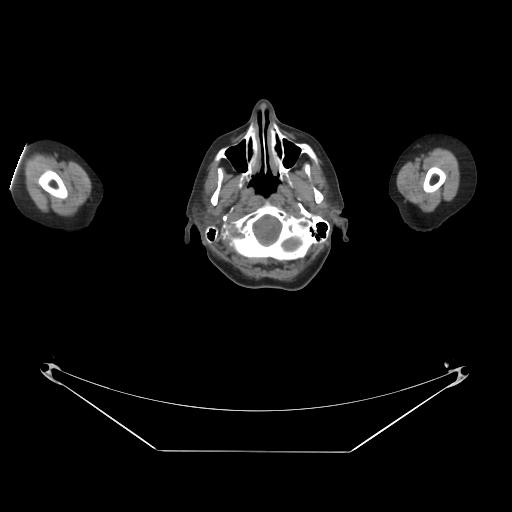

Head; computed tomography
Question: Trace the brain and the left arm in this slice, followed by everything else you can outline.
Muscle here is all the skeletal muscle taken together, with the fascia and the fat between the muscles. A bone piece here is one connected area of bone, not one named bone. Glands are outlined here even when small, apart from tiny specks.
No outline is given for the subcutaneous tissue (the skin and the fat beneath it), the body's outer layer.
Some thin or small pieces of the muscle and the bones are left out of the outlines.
Answer: The brain appears in 2 outlined pieces: piece 1: [[266,215],[268,215],[269,216],[274,217],[279,222],[280,224],[280,229],[279,230],[279,232],[278,233],[278,235],[276,239],[273,242],[269,244],[263,244],[257,238],[257,237],[255,235],[254,233],[254,229],[253,228],[254,227],[254,224],[260,218]]; piece 2: [[292,238],[293,239],[296,239],[299,242],[299,243],[297,245],[296,245],[295,246],[295,247],[294,247],[293,248],[292,248],[291,249],[286,249],[283,246],[283,243],[286,240],[288,240],[289,239],[291,239]]. The left arm is outlined by [[432,132],[441,132],[453,135],[463,141],[467,145],[475,160],[477,169],[477,185],[473,197],[464,207],[452,215],[438,228],[434,229],[430,232],[418,233],[410,229],[403,222],[398,212],[397,206],[389,196],[388,181],[394,164],[401,152],[418,137]]. The parotid glands appear in 2 outlined pieces: piece 1: [[201,191],[202,191],[202,194],[205,199],[207,209],[211,211],[214,217],[214,219],[211,224],[208,225],[206,228],[204,229],[202,229],[198,227],[197,223],[193,218],[193,213],[192,212],[192,205],[193,204],[193,202],[198,196],[199,192]]; piece 2: [[330,192],[334,194],[335,196],[335,198],[337,201],[337,206],[336,207],[336,210],[335,212],[331,216],[330,219],[327,220],[325,219],[324,217],[324,214],[327,210],[326,209],[326,203],[328,201],[328,198],[327,197],[327,195],[328,193]]. The right arm is outlined by [[38,138],[51,138],[70,146],[89,164],[100,178],[103,184],[104,193],[99,204],[95,219],[89,228],[80,232],[72,233],[67,233],[59,229],[49,228],[26,218],[14,204],[10,194],[10,188],[12,183],[10,182],[11,178],[26,142],[27,143]]. The head is outlined by [[260,98],[272,103],[282,122],[311,134],[322,145],[337,175],[344,201],[341,214],[348,219],[348,241],[335,228],[322,267],[298,290],[240,286],[208,259],[194,226],[190,229],[190,242],[183,241],[187,202],[206,150],[218,136],[242,125]] with holes at [[261,168],[262,168],[262,170],[264,173],[266,173],[270,170],[272,174],[277,175],[277,177],[279,180],[279,183],[277,185],[275,190],[268,195],[263,195],[261,193],[256,192],[254,188],[250,185],[249,183],[252,179],[253,176],[257,174],[260,171]] and at [[242,141],[244,142],[244,156],[246,160],[246,169],[244,171],[241,171],[240,172],[236,169],[235,169],[235,168],[232,165],[230,160],[228,158],[228,156],[226,154],[226,152],[230,148],[231,148],[232,146],[235,146],[239,144],[240,142]] and at [[284,140],[287,140],[288,142],[291,142],[291,143],[293,144],[294,146],[297,147],[299,149],[299,152],[298,153],[298,156],[297,157],[297,159],[295,161],[293,165],[289,167],[285,166],[283,162],[284,158],[285,157],[285,147],[284,146]] and at [[259,113],[260,113],[261,114],[261,124],[260,125],[260,126],[259,126],[259,125],[258,124],[258,123],[257,122],[257,116],[258,115],[258,114]] and at [[265,112],[267,112],[267,113],[268,114],[268,124],[267,125],[266,125],[266,124],[265,123]]. The muscle appears in 5 outlined pieces: piece 1: [[244,131],[239,140],[220,147],[213,160],[218,162],[225,159],[232,170],[239,173],[239,188],[245,181],[256,193],[268,196],[284,180],[292,185],[289,173],[303,154],[316,164],[319,163],[311,144],[323,161],[331,191],[326,195],[323,217],[309,211],[300,201],[296,203],[299,215],[295,215],[266,199],[234,220],[228,222],[228,214],[223,214],[219,227],[212,224],[215,217],[208,209],[202,190],[206,167],[218,147]], around holes outlined by [[219,167],[220,167],[222,169],[222,171],[223,172],[223,178],[222,179],[221,187],[220,188],[220,190],[218,194],[218,199],[217,200],[217,204],[216,205],[212,205],[210,202],[210,199],[212,196],[212,194],[217,187],[217,181],[218,180],[217,169]] and by [[313,186],[314,186],[319,191],[320,191],[322,193],[322,194],[323,195],[323,196],[324,197],[323,198],[323,200],[320,203],[316,203],[315,202],[315,200],[314,199],[314,193],[313,192],[313,190],[312,189],[312,187]] and by [[305,163],[308,163],[309,164],[309,165],[310,166],[310,178],[309,178],[307,176],[307,175],[305,173],[305,171],[304,170],[304,164]]; piece 2: [[28,150],[46,152],[47,153],[56,152],[58,153],[60,158],[64,160],[73,160],[78,163],[88,174],[92,183],[91,196],[78,209],[77,212],[73,216],[64,217],[60,216],[52,211],[42,212],[36,207],[25,188],[21,169],[21,166],[25,159]] with a hole at [[48,169],[50,169],[54,171],[61,178],[68,192],[68,195],[67,197],[63,199],[61,198],[59,198],[58,197],[56,197],[50,194],[45,190],[44,190],[38,183],[38,178],[39,176],[43,172],[44,172]]; piece 3: [[435,147],[442,147],[449,149],[456,156],[460,170],[460,183],[458,192],[451,201],[444,205],[437,207],[432,212],[426,213],[423,212],[418,207],[415,208],[410,204],[404,202],[403,197],[398,192],[396,187],[396,177],[400,168],[407,161]]; inner edge: [[432,166],[437,166],[439,167],[442,170],[443,170],[446,174],[446,178],[444,182],[435,191],[433,192],[431,192],[430,193],[428,193],[427,192],[425,192],[423,189],[423,182],[424,181],[424,179],[425,178],[425,176],[426,175],[426,173],[428,169]]; piece 4: [[219,240],[224,243],[225,242],[236,254],[244,258],[254,260],[272,259],[278,262],[289,262],[302,259],[307,255],[313,245],[325,243],[325,246],[303,275],[293,281],[281,281],[266,277],[255,279],[238,275],[210,249],[208,244],[210,245]]; piece 5: [[280,128],[281,128],[282,129],[283,129],[284,130],[285,130],[288,132],[290,132],[291,133],[293,133],[294,134],[295,134],[296,135],[299,136],[299,137],[300,138],[301,138],[302,139],[303,139],[306,141],[293,141],[286,134],[283,133],[281,131]]. The bones appear in 6 outlined pieces: piece 1: [[266,200],[295,216],[300,215],[298,202],[309,212],[320,215],[330,224],[326,241],[313,244],[304,257],[289,261],[247,258],[236,253],[221,239],[209,244],[204,236],[208,226],[219,228],[223,223],[223,215],[227,214],[228,223],[234,221],[261,206]], around holes outlined by [[266,215],[268,215],[269,216],[274,217],[279,222],[280,224],[280,229],[279,230],[279,232],[278,233],[278,235],[276,239],[273,242],[269,244],[263,244],[257,238],[257,237],[255,235],[254,233],[254,229],[253,228],[254,227],[254,224],[260,218]] and by [[292,238],[293,239],[296,239],[299,242],[299,243],[297,245],[296,245],[295,246],[295,247],[294,247],[293,248],[292,248],[291,249],[286,249],[283,246],[283,243],[286,240],[288,240],[289,239],[291,239]]; piece 2: [[262,117],[266,126],[274,121],[293,142],[308,143],[318,158],[316,163],[303,153],[288,173],[291,185],[261,167],[249,182],[245,180],[239,187],[240,173],[225,158],[214,160],[220,148],[242,138],[251,122],[260,127]] with holes at [[242,141],[244,142],[244,156],[246,160],[246,169],[244,171],[241,171],[240,172],[236,169],[235,169],[235,168],[232,165],[230,160],[228,158],[228,156],[226,154],[226,152],[230,148],[231,148],[232,146],[235,146],[239,144],[240,142]] and at [[284,140],[287,140],[288,142],[291,142],[291,143],[293,144],[294,146],[297,147],[299,149],[299,152],[298,153],[298,156],[297,157],[297,159],[295,161],[293,165],[289,167],[285,166],[283,162],[284,158],[285,157],[285,147],[284,146]]; piece 3: [[48,169],[50,169],[54,171],[61,178],[68,192],[68,195],[67,197],[63,199],[61,198],[59,198],[58,197],[56,197],[50,194],[45,190],[44,190],[38,183],[38,178],[39,176],[43,172],[44,172]]; piece 4: [[432,166],[437,166],[439,167],[442,170],[443,170],[446,174],[446,178],[444,182],[435,191],[433,192],[431,192],[430,193],[428,193],[427,192],[425,192],[423,189],[423,182],[424,181],[424,179],[425,178],[425,176],[426,175],[426,173],[428,169]]; piece 5: [[219,167],[220,167],[222,169],[222,171],[223,172],[223,178],[222,179],[221,187],[220,188],[220,190],[218,194],[218,199],[217,200],[217,204],[216,205],[212,205],[210,202],[210,199],[212,196],[212,194],[217,187],[217,181],[218,180],[217,169]]; piece 6: [[313,186],[314,186],[319,191],[320,191],[322,193],[322,194],[323,195],[323,196],[324,197],[323,198],[323,200],[320,203],[316,203],[315,202],[315,200],[314,199],[314,193],[313,192],[313,190],[312,189],[312,187]].